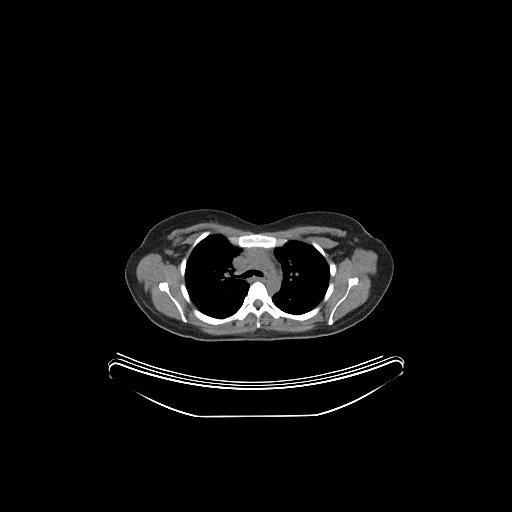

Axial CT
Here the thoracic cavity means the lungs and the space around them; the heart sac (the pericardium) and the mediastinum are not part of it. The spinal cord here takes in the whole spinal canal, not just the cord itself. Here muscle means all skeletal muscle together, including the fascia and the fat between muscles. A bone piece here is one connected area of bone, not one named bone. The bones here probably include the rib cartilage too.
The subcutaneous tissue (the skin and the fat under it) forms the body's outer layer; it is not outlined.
{"muscle":[[[306,225],[346,231],[345,236],[337,239],[339,243],[329,250],[337,263],[356,247],[377,254],[377,270],[372,278],[370,294],[363,304],[334,322],[337,308],[359,281],[357,276],[350,276],[343,295],[328,315],[327,325],[308,332],[261,329],[260,318],[265,312],[274,319],[304,321],[312,318],[320,311],[320,302],[326,302],[334,290],[330,277],[336,274],[336,264],[327,262],[325,250],[316,241],[308,243],[261,233]],[[152,252],[160,254],[163,259],[175,265],[180,260],[179,271],[184,278],[184,282],[179,286],[180,291],[186,302],[194,305],[192,313],[197,319],[210,325],[220,325],[235,320],[241,321],[249,313],[252,313],[256,318],[256,331],[245,334],[213,335],[202,331],[197,326],[185,323],[188,320],[184,310],[171,293],[169,284],[165,280],[158,283],[158,289],[166,293],[174,304],[181,321],[157,311],[136,276],[138,262]],[[202,222],[217,222],[252,232],[249,234],[241,234],[238,236],[232,235],[226,237],[219,233],[211,233],[208,229],[204,230],[191,244],[191,251],[188,257],[183,256],[181,259],[186,246],[181,244],[174,245],[173,242],[167,238],[167,236],[175,229]]],"bones":[{"outer":[[255,281],[264,284],[273,303],[284,312],[303,314],[318,305],[320,309],[304,320],[282,316],[274,318],[265,311],[259,318],[258,328],[257,318],[252,312],[241,320],[220,324],[204,322],[195,316],[193,308],[215,318],[230,316],[241,306],[250,285]],"hole":[[256,300],[257,300],[258,300],[259,300],[260,301],[261,301],[261,302],[262,303],[261,304],[261,305],[260,306],[259,307],[258,307],[257,307],[256,307],[255,306],[254,305],[254,304],[254,303],[254,302],[255,301]]},[[252,233],[260,233],[264,235],[273,236],[278,239],[279,238],[283,238],[288,240],[283,245],[281,246],[277,246],[276,247],[268,247],[267,248],[265,247],[240,247],[239,246],[232,244],[227,238],[232,236],[234,237],[238,237],[241,235],[249,235]],[[350,277],[357,277],[358,278],[358,281],[355,285],[353,285],[350,288],[346,297],[338,305],[332,317],[333,319],[333,323],[331,325],[328,325],[327,324],[327,321],[329,318],[329,315],[335,304],[344,295],[347,289],[347,287],[348,286],[348,279]],[[163,281],[167,282],[170,293],[172,295],[172,296],[179,303],[180,306],[182,308],[183,312],[184,313],[184,315],[187,320],[186,322],[183,322],[182,321],[180,313],[177,307],[169,297],[167,293],[159,289],[159,283]],[[207,230],[210,231],[210,233],[211,234],[210,234],[206,237],[203,238],[200,241],[199,241],[192,249],[191,249],[191,246],[194,242],[195,239],[197,237],[198,237],[201,234],[201,233],[202,232],[203,232],[204,231],[206,231]],[[329,282],[332,282],[333,283],[333,290],[332,291],[332,292],[331,293],[331,294],[330,295],[330,296],[328,298],[328,299],[326,301],[323,301],[322,300],[323,299],[323,298],[325,295],[325,293],[326,292],[326,291],[327,290],[327,288],[329,285]],[[182,283],[184,283],[185,284],[185,286],[186,287],[186,289],[187,290],[187,292],[188,293],[188,295],[190,298],[190,300],[191,301],[191,303],[189,303],[188,302],[187,302],[187,301],[183,296],[183,294],[181,291],[181,288],[180,287],[180,286]],[[183,257],[186,257],[187,258],[187,260],[186,261],[186,264],[185,265],[185,270],[184,271],[184,277],[183,277],[181,275],[181,272],[180,271],[180,264],[181,263],[181,260],[183,258]],[[312,241],[314,241],[315,242],[316,242],[324,250],[324,251],[325,252],[325,253],[326,254],[326,256],[325,257],[325,258],[321,254],[321,253],[317,249],[316,249],[311,244],[311,242]],[[331,262],[333,262],[335,264],[335,267],[336,268],[336,270],[335,271],[335,274],[334,275],[334,276],[333,276],[332,277],[331,277],[330,276],[330,269],[329,268],[329,263],[330,263]]],"thoracic_cavity":[[[212,234],[222,235],[232,245],[240,248],[239,253],[232,259],[232,261],[237,267],[237,273],[240,276],[242,276],[243,279],[249,285],[240,306],[233,313],[225,317],[211,316],[198,309],[192,302],[185,283],[186,265],[192,250],[199,242]],[[289,240],[297,240],[310,244],[325,259],[328,264],[329,269],[329,281],[321,301],[316,306],[303,313],[290,313],[284,311],[278,307],[272,299],[272,296],[274,293],[277,292],[280,288],[283,277],[282,266],[275,256],[275,249],[277,247],[283,246]]],"spinal_cord":[[[256,300],[257,300],[258,300],[259,300],[260,301],[261,301],[261,302],[262,303],[261,304],[261,305],[260,306],[259,307],[258,307],[257,307],[256,307],[255,306],[254,305],[254,304],[254,303],[254,302],[255,301]]],"torso":[[[199,208],[227,211],[254,223],[267,223],[304,211],[325,210],[343,213],[356,219],[387,247],[393,259],[391,281],[378,304],[363,320],[331,335],[271,341],[200,341],[174,334],[153,323],[138,307],[126,284],[124,270],[131,252],[156,223],[173,214]]],"mediastinum":[[[241,248],[265,248],[266,249],[268,248],[275,248],[274,249],[274,256],[280,263],[282,277],[279,288],[272,295],[269,293],[267,287],[263,282],[259,280],[255,280],[249,284],[244,279],[243,276],[238,273],[238,267],[234,263],[233,259],[240,253]]]}